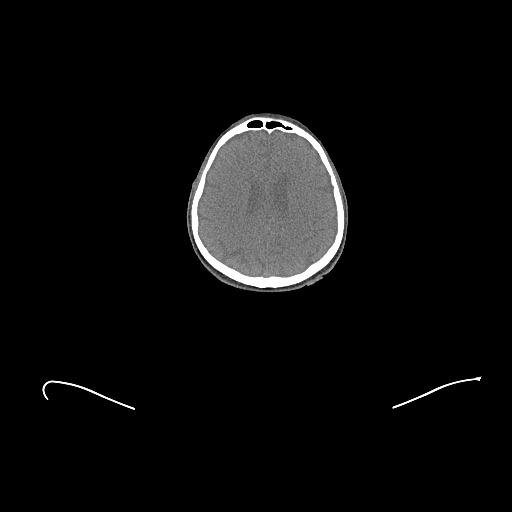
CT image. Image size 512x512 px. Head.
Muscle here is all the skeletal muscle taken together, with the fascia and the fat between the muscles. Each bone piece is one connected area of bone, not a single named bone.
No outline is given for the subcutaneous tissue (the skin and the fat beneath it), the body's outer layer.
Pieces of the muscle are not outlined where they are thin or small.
Outlines (x, y in pixels):
muscle 1: (333, 168) (335, 172) (335, 174) (337, 177) (337, 179) (339, 182) (339, 185) (340, 186) (340, 188) (341, 189) (341, 192) (342, 193) (342, 197) (342, 195) (340, 191) (340, 188) (337, 182) (337, 180) (336, 179) (336, 176) (333, 170)
muscle 2: (200, 173) (200, 175) (199, 176) (199, 179) (198, 180) (198, 182) (196, 185) (196, 187) (195, 188) (195, 189) (194, 190) (194, 191) (194, 189) (195, 188) (195, 185) (196, 184) (196, 182) (198, 179) (198, 177) (199, 176) (199, 175) (200, 174)
head: (252, 112) (278, 112) (296, 118) (305, 124) (325, 146) (337, 168) (347, 196) (349, 223) (345, 246) (340, 258) (321, 280) (293, 291) (258, 293) (238, 289) (219, 281) (200, 263) (192, 249) (187, 234) (185, 215) (188, 194) (192, 180) (208, 148) (216, 137) (232, 122)
bones: (259, 115) (273, 116) (287, 120) (307, 131) (320, 143) (328, 157) (344, 207) (343, 236) (334, 256) (323, 268) (310, 277) (287, 286) (257, 287) (238, 282) (224, 275) (214, 268) (201, 254) (195, 243) (191, 229) (190, 210) (192, 198) (212, 149) (227, 130) (248, 118); inner edge: (262, 130) (268, 134) (274, 131) (295, 134) (310, 144) (317, 153) (329, 177) (335, 206) (335, 233) (331, 243) (317, 259) (304, 269) (289, 275) (252, 275) (244, 273) (217, 258) (205, 245) (199, 233) (199, 202) (204, 192) (208, 172) (219, 150) (236, 135) (248, 131)
brain: (262, 130) (268, 134) (274, 131) (295, 134) (310, 144) (317, 153) (329, 177) (335, 206) (335, 233) (331, 243) (317, 259) (304, 269) (289, 275) (252, 275) (244, 273) (217, 258) (205, 245) (199, 233) (199, 202) (204, 192) (208, 172) (219, 150) (236, 135) (248, 131)